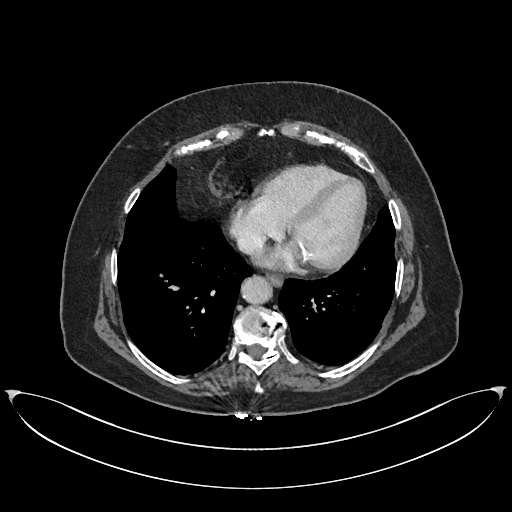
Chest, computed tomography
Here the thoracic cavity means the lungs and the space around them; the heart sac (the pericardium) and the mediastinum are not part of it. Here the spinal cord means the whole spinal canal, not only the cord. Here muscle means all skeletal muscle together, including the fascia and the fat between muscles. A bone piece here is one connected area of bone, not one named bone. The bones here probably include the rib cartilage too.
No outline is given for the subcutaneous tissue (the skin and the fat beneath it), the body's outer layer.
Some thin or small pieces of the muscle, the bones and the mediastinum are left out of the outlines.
The bones appear in 9 outlined pieces: piece 1: 249 306; 266 308; 283 315; 287 324; 287 329; 285 332; 286 344; 290 351; 301 361; 301 364; 291 364; 282 357; 270 364; 258 376; 250 367; 245 364; 239 363; 235 358; 231 361; 226 358; 233 337; 232 324; 234 318; 242 310; inner edge: 253 344; 259 344; 261 346; 262 346; 265 349; 265 351; 262 354; 262 355; 261 356; 261 357; 259 359; 255 359; 254 358; 253 358; 247 352; 247 348; 249 346; 250 346; 251 345; 252 345; piece 2: 286 123; 297 123; 303 130; 314 130; 357 148; 369 159; 374 168; 374 174; 371 175; 366 172; 339 148; 331 144; 321 144; 302 133; 296 138; 282 135; 278 132; 274 136; 258 136; 256 132; 261 127; 266 129; 272 127; 277 129; piece 3: 229 126; 242 128; 244 130; 244 135; 242 137; 235 139; 224 139; 220 141; 217 141; 213 145; 206 148; 192 151; 184 155; 176 156; 174 154; 174 151; 183 145; 196 142; 206 138; 211 139; 214 137; 215 134; 222 127; 228 127; piece 4: 379 338; 381 338; 381 342; 373 353; 361 365; 349 373; 343 376; 336 377; 335 378; 332 378; 331 377; 320 377; 317 375; 316 373; 318 371; 329 370; 332 368; 339 367; 344 365; 346 363; 348 363; 357 357; 372 343; 376 341; piece 5: 126 337; 128 337; 140 350; 140 351; 153 363; 173 375; 187 377; 190 379; 190 381; 185 383; 182 383; 181 384; 175 384; 167 380; 165 380; 161 377; 156 375; 144 365; 143 365; 133 354; 132 351; 126 342; piece 6: 399 257; 401 257; 404 261; 404 271; 403 272; 403 277; 402 278; 402 283; 401 284; 401 288; 399 292; 399 295; 396 298; 394 296; 394 294; 395 293; 394 292; 394 284; 395 283; 395 276; 396 275; 396 268; 397 267; 397 259; piece 7: 391 197; 395 200; 398 206; 398 208; 399 209; 399 212; 400 213; 400 218; 401 219; 401 227; 398 231; 396 231; 395 230; 395 228; 394 227; 394 225; 392 221; 392 218; 391 217; 390 210; 389 209; 389 207; 387 203; 388 199; piece 8: 113 247; 114 247; 115 248; 116 248; 116 249; 117 250; 117 286; 115 286; 112 283; 112 281; 111 280; 111 273; 110 272; 110 253; 111 252; 111 249; piece 9: 137 186; 139 186; 141 188; 141 191; 140 192; 137 199; 135 201; 134 204; 132 206; 132 207; 129 211; 129 212; 127 214; 125 214; 125 213; 124 212; 124 205; 125 204; 125 202; 126 201; 128 196; 130 194; 130 193. The torso is outlined by 273 80; 316 82; 357 94; 383 110; 406 135; 435 189; 463 284; 455 348; 440 363; 371 397; 326 409; 279 416; 221 416; 174 409; 142 399; 87 372; 74 363; 64 349; 59 293; 68 230; 96 170; 136 122; 164 103; 210 87. The thoracic cavity appears in 2 outlined pieces: piece 1: 167 164; 173 166; 176 171; 177 205; 192 217; 207 218; 217 222; 227 243; 253 269; 239 287; 226 352; 208 367; 189 375; 176 375; 167 371; 147 357; 133 342; 123 321; 118 290; 118 248; 127 215; 142 190; piece 2: 386 201; 395 231; 396 267; 394 293; 381 327; 373 341; 364 350; 342 365; 329 367; 307 360; 297 354; 289 343; 286 332; 288 324; 278 305; 278 297; 284 281; 289 278; 317 280; 327 278; 340 270; 356 253; 371 231; 378 213. The mediastinum appears in 2 outlined pieces: piece 1: 246 135; 282 136; 314 146; 334 147; 369 174; 381 190; 385 203; 367 235; 371 191; 358 170; 329 158; 307 158; 279 165; 262 174; 229 212; 228 238; 231 246; 217 221; 186 212; 176 199; 177 171; 171 163; 179 157; 214 149; piece 2: 254 271; 260 272; 264 274; 288 277; 288 278; 286 278; 283 281; 282 286; 278 293; 277 297; 277 305; 280 312; 266 307; 258 307; 257 306; 249 305; 242 309; 234 317; 234 312; 241 284; 243 280; 245 278; 250 276. The spinal cord is outlined by 253 344; 259 344; 261 346; 262 346; 265 349; 265 351; 262 354; 262 355; 261 356; 261 357; 259 359; 255 359; 254 358; 253 358; 247 352; 247 348; 249 346; 250 346; 251 345; 252 345. The muscle appears in 3 outlined pieces: piece 1: 285 119; 310 121; 327 127; 347 137; 353 142; 362 147; 367 152; 368 155; 398 191; 398 193; 400 195; 410 216; 412 218; 414 232; 415 233; 415 238; 417 242; 418 249; 422 261; 422 299; 424 303; 424 306; 426 309; 425 315; 416 326; 409 330; 397 342; 384 352; 371 365; 367 367; 348 382; 335 388; 323 390; 322 391; 291 391; 290 390; 280 390; 279 391; 270 391; 268 393; 263 393; 264 392; 264 389; 261 385; 260 381; 257 380; 254 386; 254 389; 253 390; 254 391; 234 392; 233 393; 225 394; 221 396; 220 395; 195 396; 174 390; 156 381; 144 373; 135 365; 129 362; 115 352; 97 335; 95 330; 93 328; 94 318; 99 301; 99 283; 100 282; 103 259; 109 243; 110 236; 112 233; 112 230; 114 226; 114 222; 122 204; 123 199; 130 187; 147 172; 173 144; 182 139; 187 138; 205 130; 225 123; 231 123; 232 122; 237 122; 241 120; 247 120; 251 122; 256 122; 261 124; 270 124; 275 122; 279 122; inner edge: 286 123; 297 123; 303 130; 323 133; 363 152; 374 168; 371 176; 385 200; 391 197; 398 206; 401 227; 394 233; 394 256; 403 259; 404 271; 399 295; 392 298; 373 340; 381 338; 381 342; 349 373; 335 378; 320 377; 318 371; 332 368; 297 354; 287 334; 288 348; 302 363; 291 364; 282 357; 258 376; 235 358; 231 361; 226 358; 232 328; 226 352; 217 361; 185 375; 190 379; 188 382; 175 384; 165 380; 143 365; 128 346; 118 287; 111 280; 110 253; 113 247; 118 249; 123 237; 125 202; 137 186; 142 190; 178 158; 174 151; 183 145; 211 139; 222 127; 242 128; 245 136; 255 135; 261 127; 277 129; piece 2: 301 134; 302 134; 305 137; 309 139; 312 139; 313 140; 315 140; 321 145; 331 145; 333 146; 319 146; 318 145; 314 145; 313 144; 310 144; 309 143; 307 143; 297 138; 299 137; piece 3: 224 140; 235 140; 230 141; 220 146; 218 146; 214 148; 211 148; 210 149; 207 149; 203 151; 199 151; 198 152; 195 152; 194 153; 188 154; 192 152; 195 152; 203 149; 206 149; 211 146; 213 146; 217 142; 220 142. The pericardium is outlined by 307 159; 335 160; 349 165; 358 171; 364 179; 370 191; 371 199; 370 218; 365 236; 350 259; 340 269; 327 277; 317 279; 303 279; 264 273; 254 270; 246 259; 236 251; 231 244; 229 238; 230 212; 247 190; 262 175; 279 166.